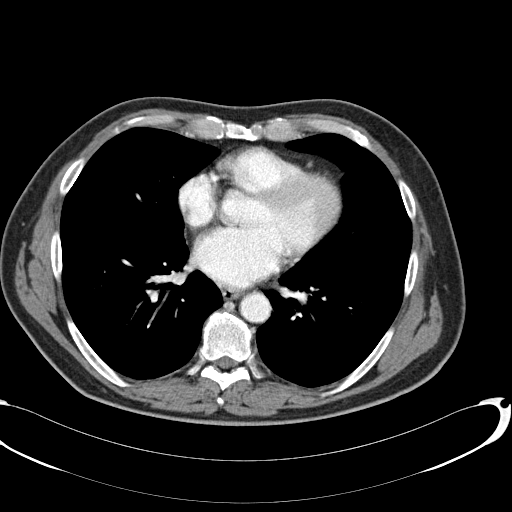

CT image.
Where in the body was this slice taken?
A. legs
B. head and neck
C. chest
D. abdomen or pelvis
Answer: C. chest
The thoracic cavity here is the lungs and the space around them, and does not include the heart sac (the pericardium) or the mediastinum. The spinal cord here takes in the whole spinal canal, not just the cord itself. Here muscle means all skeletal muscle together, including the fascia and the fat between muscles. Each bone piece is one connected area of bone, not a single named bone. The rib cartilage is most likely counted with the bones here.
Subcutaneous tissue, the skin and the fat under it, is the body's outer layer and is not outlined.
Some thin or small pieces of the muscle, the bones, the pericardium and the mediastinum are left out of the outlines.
Outlined structures:
muscle 1: 147,108 207,114 189,120 180,133 157,127 175,120 168,113 126,119 123,128 116,125 112,130 114,135 88,161 83,156 74,160 58,186 59,194 64,197 59,229 50,236 51,270 54,278 61,281 70,314 65,318 68,332 81,354 100,375 125,388 130,383 120,375 137,380 161,377 183,367 196,354 185,373 193,375 199,371 201,377 212,380 223,391 237,381 248,381 251,374 256,379 264,377 256,361 257,354 274,374 304,387 325,386 342,380 322,391 321,397 350,387 385,351 395,331 391,324 403,298 415,285 419,255 411,248 412,222 416,217 416,201 411,189 421,208 433,251 425,266 425,280 430,291 433,287 436,289 441,307 442,329 437,343 370,389 314,407 279,409 267,416 236,415 222,408 209,414 154,408 149,403 124,397 94,378 21,304 14,284 15,266 23,242 31,240 42,203 60,169 101,129 128,113 with a hole at 219,396 220,396 221,397 222,398 223,399 223,400 223,401 223,402 223,403 222,404 221,405 220,405 219,404 218,403 217,402 217,401 217,400 217,399 217,398 218,397
muscle 2: 309,113 321,113 327,115 338,116 350,120 363,127 387,151 389,156 397,164 401,171 402,176 407,183 401,178 398,178 396,181 394,180 384,163 373,152 373,148 368,137 358,129 354,128 350,125 330,119 322,119 321,118 309,119 306,121 306,124 319,133 308,135 304,137 304,135 298,129 298,125 295,122 284,117 284,116 293,114 308,114
thoracic cavity 1: 136,127 174,132 219,151 209,164 178,188 177,204 183,221 183,237 189,260 217,287 222,304 205,318 200,344 189,362 167,374 146,379 122,375 99,356 71,316 62,287 60,220 64,198 89,160 108,140
thoracic cavity 2: 320,133 341,135 383,163 411,222 411,246 403,297 390,325 366,357 342,379 310,387 270,370 252,342 257,329 274,310 266,291 275,289 278,280 334,229 342,215 341,180 345,171 332,159 287,146 289,141
pericardium: 232,144 264,144 309,159 326,169 337,187 340,198 341,215 338,223 325,237 292,267 275,279 247,287 219,285 194,265 190,259 190,248 186,241 184,221 178,204 179,188 187,180 209,166 225,146
torso: 144,96 225,105 333,98 365,107 405,133 437,178 463,272 464,323 455,348 439,371 413,390 365,409 313,421 260,426 210,425 152,417 98,402 72,387 11,313 0,287 0,243 15,203 47,156 96,114
bones 1: 218,309 234,314 254,328 255,333 251,346 256,349 255,361 263,377 256,378 251,373 248,380 237,380 221,390 215,381 201,376 199,370 193,374 186,373 186,370 198,357 196,352 201,344 203,324 206,318 with a hole at 224,356 227,356 228,357 229,357 231,359 232,359 234,361 234,362 235,363 236,366 234,368 232,368 229,370 221,370 219,368 216,367 216,366 215,365 215,363 216,362 216,361 221,357 223,357
bones 2: 206,115 216,116 224,122 235,122 247,127 253,123 260,123 264,125 272,118 283,117 295,123 303,137 283,141 270,140 266,138 253,141 226,137 220,139 190,138 181,133 188,127 188,122 192,119 203,118
bones 3: 69,316 72,318 77,328 80,331 81,334 84,337 92,349 105,363 106,363 113,370 114,370 126,382 129,383 129,386 121,387 111,382 100,374 89,363 76,345 69,332 69,330 66,324 66,318
bones 4: 391,325 393,326 394,331 389,343 376,362 367,371 367,372 366,372 357,381 343,390 330,394 329,395 321,396 321,393 322,392 333,389 336,387 346,376 347,376 354,369 355,369 367,357
bones 5: 314,119 330,120 331,121 334,121 344,125 350,126 352,128 358,130 367,137 371,145 372,152 368,149 359,145 351,139 341,134 334,133 333,132 319,132 307,124 307,121 309,120 313,120
bones 6: 157,114 168,114 171,115 174,118 174,120 172,122 161,123 156,127 151,127 150,126 131,127 125,129 117,134 114,134 113,131 114,128 116,126 118,126 123,129 125,126 123,123 126,120 138,116 156,115
bones 7: 81,157 87,158 87,161 85,165 81,170 80,173 78,175 77,178 73,183 72,186 69,189 67,193 64,196 63,196 61,195 59,192 59,186 60,185 60,182 66,170 70,166 70,165 78,158 80,158
bones 8: 57,229 59,230 59,235 60,236 60,241 61,242 61,262 62,263 62,268 61,269 61,280 60,281 58,281 54,276 54,274 52,270 52,266 51,265 51,259 50,258 50,244 51,243 51,236 53,232
bones 9: 411,249 415,249 417,251 417,254 418,255 417,273 416,274 413,288 411,290 410,293 406,297 404,297 404,282 405,281 405,277 406,276 406,272 407,271 407,266 408,265 408,261 409,260 409,256 411,252
bones 10: 398,179 401,179 403,180 407,184 412,193 413,198 415,201 415,217 412,221 411,221 409,218 407,214 407,212 405,209 405,207 404,206 404,204 403,203 403,201 402,200 402,198 399,191 399,188 396,182
mediastinum 1: 282,274 277,280 278,285 273,289 265,291 271,302 273,310 270,317 256,330 253,326 250,326 234,313 219,309 223,304 223,298 220,290 214,282 222,287 230,286 234,288 247,288 265,284 270,280 275,280
mediastinum 2: 223,138 251,142 261,139 279,142 288,141 286,143 287,147 332,160 344,171 343,176 339,180 342,198 341,213 341,198 338,187 324,166 309,158 264,143 232,143 225,145 220,151 217,147 196,139 220,140
spinal cord: 224,356 227,356 228,357 229,357 231,359 232,359 234,361 234,362 235,363 236,366 234,368 232,368 229,370 221,370 219,368 216,367 216,366 215,365 215,363 216,362 216,361 221,357 223,357